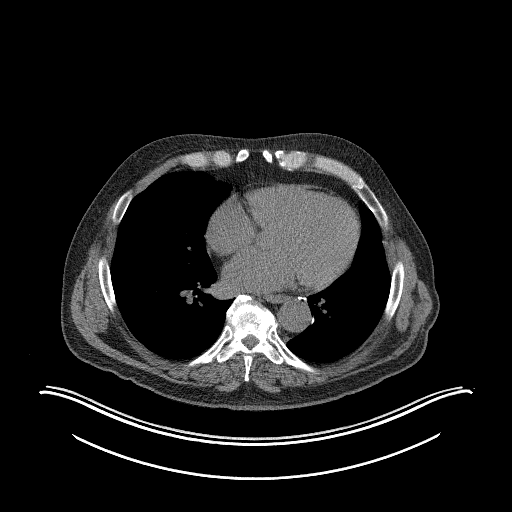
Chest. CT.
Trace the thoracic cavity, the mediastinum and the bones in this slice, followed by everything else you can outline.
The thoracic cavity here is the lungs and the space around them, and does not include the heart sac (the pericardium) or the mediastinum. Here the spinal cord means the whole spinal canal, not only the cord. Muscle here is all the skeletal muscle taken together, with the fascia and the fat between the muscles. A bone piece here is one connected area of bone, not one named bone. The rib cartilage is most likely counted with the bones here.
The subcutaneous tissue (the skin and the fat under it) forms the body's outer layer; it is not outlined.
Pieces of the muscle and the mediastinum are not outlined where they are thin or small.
The thoracic cavity appears in 2 outlined pieces: piece 1: 172,170 205,172 231,186 229,195 210,215 204,239 206,252 216,272 216,278 223,288 232,294 233,299 225,312 225,321 216,340 191,359 162,357 148,349 134,336 117,307 110,271 118,225 134,196 154,180; piece 2: 361,204 364,204 371,211 381,229 386,259 391,272 389,292 383,313 371,334 357,350 330,363 309,363 295,354 282,339 289,340 293,338 303,332 312,323 313,317 307,297 327,288 350,267 362,229 359,208. The mediastinum appears in 2 outlined pieces: piece 1: 255,154 269,164 275,161 279,167 287,171 303,168 340,178 363,203 359,205 359,212 356,205 339,190 304,179 283,176 260,177 248,181 231,193 232,186 228,182 218,180 205,171 176,169 227,167 243,162; piece 2: 222,284 234,292 269,294 289,291 300,294 311,294 306,297 307,305 312,317 311,323 303,331 293,337 284,339 278,332 278,323 274,314 267,307 256,301 251,295 247,293 240,293 233,298 233,294 227,291. The bones appear in 6 outlined pieces: piece 1: 240,294 251,296 273,314 277,332 286,346 317,368 317,373 285,362 274,363 263,353 253,356 248,381 244,380 245,364 241,352 234,353 223,362 214,358 208,363 187,366 190,360 217,340 226,321 226,312, around a hole outlined by 248,335 252,335 254,337 255,337 258,340 258,342 255,345 254,345 252,347 251,347 250,348 249,348 247,346 246,346 242,342 242,340 244,338 245,338; piece 2: 264,148 271,153 279,149 285,151 301,150 305,151 310,157 321,156 331,158 354,170 363,178 385,210 388,217 387,228 381,228 372,211 340,177 308,165 293,170 284,169 275,160 272,163 265,160 262,156; piece 3: 242,148 247,148 248,149 249,156 243,161 233,162 227,166 216,166 211,164 209,166 204,168 200,168 199,167 193,168 183,164 180,161 180,157 182,155 190,152 202,152 208,155 217,150 224,150 234,156; piece 4: 397,260 401,260 403,263 403,266 404,267 403,286 402,287 402,291 401,292 400,299 394,312 394,314 390,320 386,320 384,318 383,314 384,313 384,310 390,292 391,273 393,270 394,264; piece 5: 103,255 105,256 109,264 109,271 110,272 111,284 112,285 113,293 116,302 116,306 114,308 114,312 111,312 110,311 106,303 106,301 102,293 102,290 99,281 99,275 98,274 98,260 99,258; piece 6: 129,189 130,189 132,191 132,193 133,194 133,197 130,201 129,204 127,206 122,216 122,218 120,222 118,224 114,224 112,221 112,212 113,211 114,206 116,202 120,197 120,196 124,192 125,192. The muscle appears in 2 outlined pieces: piece 1: 116,199 111,212 111,221 117,225 111,259 109,263 103,254 97,260 98,281 105,303 111,313 117,308 129,331 148,350 168,360 189,360 186,363 189,368 208,364 214,359 223,363 234,354 241,353 243,380 248,382 256,354 263,354 277,365 285,363 317,374 318,368 311,364 330,364 357,351 382,316 386,321 392,319 403,291 404,263 397,259 391,271 384,245 382,230 389,226 386,210 413,255 418,277 432,300 431,312 408,348 395,358 320,385 269,392 249,382 231,391 220,391 209,386 169,381 96,349 84,339 71,317 74,283 106,213; piece 2: 180,154 183,154 179,157 179,161 183,165 186,166 181,166 175,169 172,169 163,173 154,179 141,191 134,195 133,191 129,188 131,187 135,182 145,175 151,169 164,160 170,157 172,157 176,155 179,155. The spinal cord is outlined by 248,335 252,335 254,337 255,337 258,340 258,342 255,345 254,345 252,347 251,347 250,348 249,348 247,346 246,346 242,342 242,340 244,338 245,338. The torso is outlined by 299,132 339,136 368,152 386,174 428,244 439,312 428,332 425,351 414,365 371,387 333,401 291,409 249,411 193,405 161,396 83,362 69,350 60,324 67,251 88,206 124,159 151,141 177,134 256,138. The pericardium is outlined by 268,177 295,178 304,180 306,182 329,186 345,195 357,208 361,229 351,263 349,267 327,287 315,293 300,293 289,290 269,293 234,291 220,281 218,270 207,251 205,232 213,212 234,191 238,190 248,182.